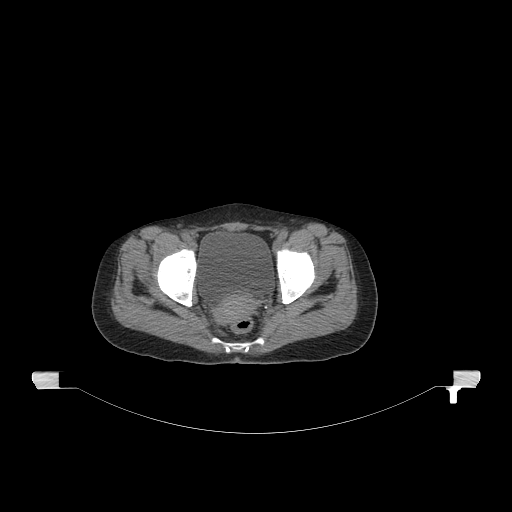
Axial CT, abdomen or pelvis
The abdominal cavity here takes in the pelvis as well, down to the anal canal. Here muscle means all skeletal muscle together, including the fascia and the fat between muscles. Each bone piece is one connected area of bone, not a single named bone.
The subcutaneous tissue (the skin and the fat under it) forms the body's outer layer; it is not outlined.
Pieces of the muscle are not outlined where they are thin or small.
The bones appear in 3 outlined pieces: piece 1: (184, 248) (192, 249) (195, 252) (195, 257) (197, 263) (195, 279) (194, 280) (194, 285) (192, 290) (192, 305) (190, 307) (188, 307) (181, 303) (175, 301) (165, 294) (160, 289) (158, 285) (157, 276) (156, 275) (157, 274) (157, 270) (158, 269) (159, 263) (165, 256); piece 2: (282, 248) (286, 248) (290, 250) (298, 251) (299, 252) (301, 251) (306, 251) (309, 254) (313, 262) (314, 273) (315, 274) (314, 280) (311, 285) (299, 297) (287, 304) (282, 303) (281, 291) (280, 290) (279, 280) (278, 279) (277, 270) (276, 269) (276, 251); piece 3: (213, 337) (217, 337) (227, 342) (235, 341) (246, 342) (254, 340) (258, 337) (261, 337) (263, 338) (264, 343) (262, 345) (258, 343) (251, 345) (246, 353) (243, 353) (241, 351) (238, 352) (233, 351) (230, 353) (227, 353) (224, 347) (220, 343) (213, 343) (211, 341). The abdominal cavity is outlined by (248, 229) (254, 231) (269, 231) (275, 236) (272, 249) (275, 252) (275, 269) (278, 280) (276, 303) (263, 318) (257, 337) (246, 341) (228, 341) (220, 337) (210, 327) (210, 321) (198, 304) (195, 280) (198, 267) (195, 251) (197, 248) (196, 237) (198, 233) (204, 231). The muscle is outlined by (232, 221) (288, 226) (317, 222) (341, 234) (357, 286) (352, 323) (260, 355) (247, 354) (251, 346) (265, 343) (257, 336) (277, 303) (278, 287) (281, 303) (287, 305) (316, 277) (306, 250) (274, 251) (276, 236) (271, 231) (248, 228) (198, 232) (195, 250) (184, 247) (165, 255) (155, 275) (159, 289) (188, 308) (195, 281) (197, 304) (219, 336) (210, 341) (226, 353) (205, 352) (120, 324) (110, 299) (119, 248) (131, 235) (152, 225) (178, 229). The torso is outlined by (232, 202) (250, 203) (317, 217) (345, 228) (357, 238) (369, 259) (378, 297) (375, 324) (370, 337) (361, 348) (353, 353) (323, 361) (207, 365) (165, 361) (138, 355) (115, 347) (101, 335) (92, 318) (91, 296) (99, 261) (110, 242) (124, 232) (154, 220) (175, 217).